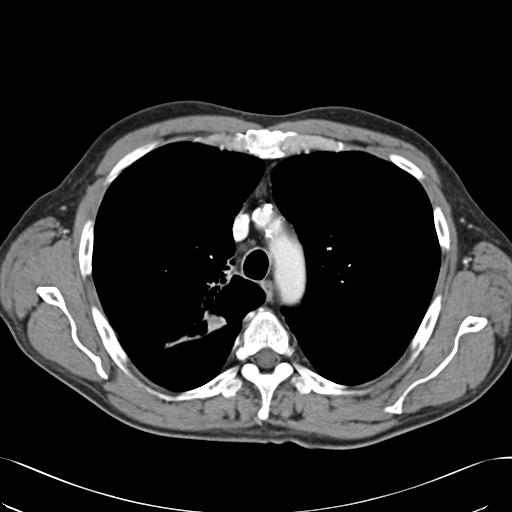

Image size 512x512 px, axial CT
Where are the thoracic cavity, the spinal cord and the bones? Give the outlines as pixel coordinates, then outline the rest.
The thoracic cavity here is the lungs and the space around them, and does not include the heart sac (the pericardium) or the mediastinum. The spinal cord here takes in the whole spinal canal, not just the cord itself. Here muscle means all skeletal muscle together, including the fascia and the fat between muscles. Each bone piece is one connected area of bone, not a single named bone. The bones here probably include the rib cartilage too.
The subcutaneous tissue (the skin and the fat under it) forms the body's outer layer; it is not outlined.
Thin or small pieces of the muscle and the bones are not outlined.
Outlined structures:
thoracic cavity 1: 178 141; 191 141; 261 159; 263 172; 232 222; 234 252; 231 258; 235 273; 256 284; 263 291; 264 300; 241 331; 232 352; 235 362; 199 386; 172 392; 144 378; 121 345; 96 291; 92 254; 95 220; 107 188; 124 169; 144 155
thoracic cavity 2: 357 150; 391 162; 421 184; 432 207; 440 265; 432 298; 403 354; 368 384; 348 386; 324 377; 300 362; 296 355; 297 339; 289 330; 281 308; 293 309; 303 301; 307 285; 306 258; 294 225; 274 199; 271 172; 284 158; 292 155
spinal cord: 263 348; 269 348; 270 349; 271 349; 274 352; 275 352; 276 353; 276 354; 277 355; 277 362; 270 369; 262 369; 256 363; 256 359; 255 358; 255 355; 261 349; 262 349
bones 1: 92 304; 113 329; 134 376; 164 393; 199 387; 233 365; 242 331; 259 307; 295 337; 300 363; 350 389; 369 390; 302 394; 287 378; 273 391; 265 420; 257 416; 261 394; 246 379; 231 397; 219 393; 168 401; 115 363; 94 323; inner edge: 263 348; 269 348; 270 349; 271 349; 274 352; 275 352; 276 353; 276 354; 277 355; 277 362; 270 369; 262 369; 256 363; 256 359; 255 358; 255 355; 261 349; 262 349
bones 2: 262 128; 284 132; 294 131; 303 135; 322 136; 359 149; 346 151; 311 150; 308 153; 301 152; 286 157; 275 158; 260 158; 246 152; 222 150; 216 146; 194 142; 191 140; 193 137; 211 134; 233 136; 237 132; 244 133; 248 129
bones 3: 468 315; 485 317; 487 319; 485 326; 478 331; 466 332; 459 337; 457 351; 453 357; 434 377; 417 384; 405 396; 402 403; 401 413; 396 414; 385 412; 385 407; 392 405; 414 381; 428 375; 449 354; 453 347; 459 326; 463 319
bones 4: 38 286; 55 286; 58 288; 64 299; 66 308; 75 323; 78 339; 85 347; 100 358; 102 368; 108 375; 107 379; 104 379; 99 375; 92 360; 74 342; 71 336; 71 327; 67 316; 58 306; 47 303; 41 298; 36 291; 36 288
bones 5: 438 293; 440 293; 442 296; 441 299; 441 307; 435 325; 432 330; 432 332; 425 345; 420 351; 418 355; 415 359; 405 368; 406 361; 410 354; 410 350; 408 348; 408 346; 412 338; 416 333; 433 297
bones 6: 88 219; 94 219; 94 225; 93 226; 93 242; 92 243; 92 253; 91 254; 91 275; 88 275; 84 279; 81 275; 81 272; 80 271; 80 268; 79 267; 78 251; 79 250; 79 242; 80 241; 81 232; 82 231; 82 229; 85 222
bones 7: 154 140; 158 140; 162 142; 164 142; 165 141; 167 141; 168 142; 154 148; 134 161; 130 165; 124 168; 111 182; 111 183; 105 190; 104 182; 107 176; 111 171; 112 168; 117 163; 117 162; 127 153; 133 150; 135 148
bones 8: 434 205; 438 205; 441 208; 441 210; 445 217; 445 219; 447 223; 447 226; 448 227; 448 231; 449 232; 449 249; 442 252; 439 245; 439 242; 437 237; 437 233; 435 228; 434 216; 433 215; 433 206
bones 9: 389 153; 396 153; 399 155; 401 155; 405 157; 410 161; 411 161; 414 164; 415 164; 421 170; 421 171; 424 175; 424 178; 422 181; 422 184; 411 174; 405 171; 403 169; 400 168; 391 161; 387 159; 385 159; 387 157
mediastinum: 276 158; 283 159; 270 172; 272 196; 281 213; 294 227; 303 247; 306 268; 302 301; 293 308; 280 308; 288 329; 270 309; 260 306; 265 300; 264 291; 256 283; 236 273; 232 258; 235 252; 232 233; 234 219; 264 172; 262 159
muscle 1: 193 114; 234 116; 263 127; 325 119; 381 132; 422 151; 450 205; 457 268; 464 267; 465 258; 480 241; 492 243; 511 259; 511 322; 507 335; 497 342; 485 378; 457 400; 407 414; 402 418; 408 419; 383 431; 339 439; 292 433; 267 422; 239 431; 192 431; 144 423; 41 355; 0 301; 0 266; 11 243; 47 216; 56 218; 68 236; 87 186; 96 179; 98 164; 116 140; 152 123, around holes outlined by 262 128; 322 136; 384 159; 389 153; 405 157; 423 173; 421 185; 431 206; 441 208; 449 232; 432 294; 441 294; 441 307; 415 359; 405 368; 407 348; 368 384; 349 386; 368 389; 362 395; 302 394; 287 378; 273 391; 265 420; 257 416; 261 394; 246 379; 231 397; 168 401; 127 376; 96 328; 91 305; 102 307; 78 258; 83 226; 96 219; 104 182; 127 153; 154 140; 190 141 and by 468 315; 485 317; 487 319; 485 326; 478 331; 466 332; 459 337; 457 351; 453 357; 434 377; 417 384; 405 396; 402 403; 401 413; 396 414; 385 412; 385 407; 392 405; 414 381; 428 375; 449 354; 453 347; 459 326; 463 319 and by 38 286; 55 286; 58 288; 64 299; 66 308; 75 323; 78 339; 85 347; 100 358; 102 368; 108 375; 107 379; 104 379; 99 375; 92 360; 74 342; 71 336; 71 327; 67 316; 58 306; 47 303; 41 298; 36 291; 36 288
muscle 2: 130 362; 132 363; 133 365; 133 367; 138 372; 138 373; 144 379; 145 379; 149 383; 150 383; 155 387; 159 389; 161 389; 162 390; 169 391; 172 393; 177 393; 175 393; 173 394; 172 393; 168 393; 167 392; 164 392; 163 391; 158 390; 146 384; 144 382; 140 380; 137 377; 136 377; 135 375; 128 367; 127 364
torso: 182 99; 266 114; 324 105; 350 106; 399 121; 427 138; 511 241; 511 361; 495 383; 466 407; 378 443; 352 449; 309 449; 293 442; 208 441; 142 431; 107 414; 24 354; 0 318; 0 243; 27 207; 54 188; 108 126; 142 108